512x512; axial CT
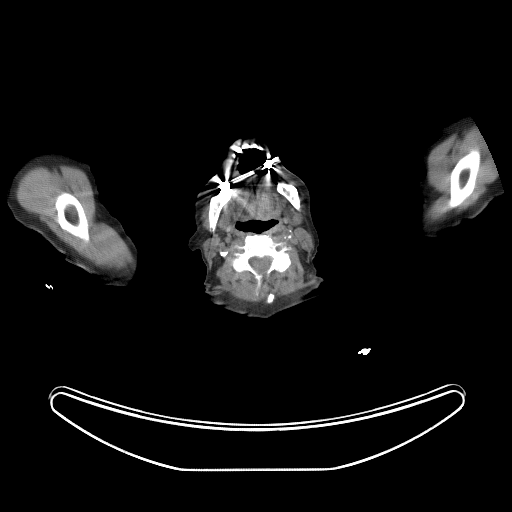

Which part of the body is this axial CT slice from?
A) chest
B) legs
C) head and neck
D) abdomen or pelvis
C) head and neck
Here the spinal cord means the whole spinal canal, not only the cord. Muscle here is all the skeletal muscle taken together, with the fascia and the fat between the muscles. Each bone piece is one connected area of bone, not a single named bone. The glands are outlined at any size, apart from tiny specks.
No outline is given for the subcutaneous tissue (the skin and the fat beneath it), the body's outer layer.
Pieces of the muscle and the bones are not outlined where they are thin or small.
{"spinal_cord":[[[253,257],[257,257],[258,258],[262,258],[263,257],[270,257],[271,258],[271,261],[270,262],[270,264],[267,268],[267,269],[264,272],[262,272],[261,273],[260,273],[259,272],[258,272],[254,268],[253,268],[251,266],[251,265],[249,263],[249,260]]],"muscle":[{"outer":[[237,160],[238,169],[242,173],[254,170],[260,163],[265,162],[270,171],[282,175],[282,170],[297,182],[303,196],[307,227],[313,238],[314,245],[307,266],[313,283],[275,301],[275,295],[269,292],[264,299],[267,304],[240,300],[226,292],[216,291],[213,274],[200,241],[200,217],[204,200],[217,178],[223,176],[223,171],[223,180],[208,202],[208,230],[211,233],[216,230],[220,213],[232,197],[231,175]],"holes":[[[249,220],[275,220],[263,231],[275,242],[284,242],[290,247],[287,251],[291,261],[289,267],[282,272],[273,270],[264,277],[258,294],[255,294],[254,276],[247,270],[237,272],[230,261],[235,246],[243,245],[245,237],[254,232],[239,229],[236,224]],[[277,181],[284,181],[287,183],[290,183],[296,187],[300,199],[300,209],[297,211],[302,218],[301,220],[301,224],[300,225],[290,225],[289,220],[294,213],[294,211],[297,210],[284,196],[280,194],[277,191],[276,188],[276,183]]]},{"outer":[[49,164],[65,164],[75,166],[85,172],[91,184],[97,213],[102,220],[116,230],[127,244],[134,259],[134,263],[131,267],[126,270],[107,270],[95,266],[73,251],[61,241],[37,216],[27,212],[18,203],[15,191],[21,176],[28,169],[36,165]],"hole":[[62,192],[67,192],[72,194],[82,205],[84,209],[86,217],[88,220],[88,225],[89,226],[88,227],[89,240],[87,242],[83,241],[80,238],[62,229],[57,222],[56,220],[56,218],[57,217],[57,211],[55,208],[55,200],[56,199],[56,197]]},{"outer":[[475,123],[491,154],[499,179],[489,188],[474,205],[466,211],[455,214],[440,223],[436,223],[434,221],[428,222],[426,220],[426,212],[430,205],[429,203],[430,186],[427,182],[429,174],[428,156],[431,150],[436,145],[453,132],[471,127]],"hole":[[472,149],[477,149],[480,153],[480,163],[479,164],[479,169],[478,170],[477,176],[476,177],[475,187],[472,193],[460,205],[457,207],[451,208],[451,206],[449,203],[449,187],[450,186],[450,180],[449,179],[449,176],[450,175],[450,173],[458,160]]}],"left_arm":[[[466,113],[475,123],[487,145],[499,176],[503,194],[494,198],[474,218],[464,219],[457,226],[444,230],[439,236],[420,236],[418,228],[418,219],[420,216],[422,204],[421,179],[425,175],[425,168],[423,163],[424,150],[440,135],[441,128],[444,125]]],"right_arm":[[[44,152],[66,154],[87,162],[90,165],[95,177],[100,201],[120,221],[138,251],[139,262],[137,277],[128,285],[114,286],[101,283],[80,267],[67,262],[64,256],[40,234],[25,227],[14,218],[6,202],[12,178],[16,170],[26,160],[36,154]]],"submandibular_glands":[[[294,211],[297,211],[297,212],[301,216],[301,217],[302,218],[302,219],[301,220],[301,224],[300,225],[290,225],[290,224],[289,223],[289,220],[290,219],[290,218],[292,216],[292,215],[294,213]]],"bones":[{"outer":[[262,232],[270,235],[275,242],[284,242],[290,247],[287,252],[291,263],[286,270],[282,272],[273,270],[267,277],[264,277],[258,294],[255,294],[256,279],[254,276],[247,270],[237,272],[233,268],[230,259],[233,256],[235,246],[243,245],[248,234]],"hole":[[253,257],[257,257],[258,258],[262,258],[263,257],[270,257],[271,258],[271,261],[270,262],[270,264],[267,268],[267,269],[264,272],[262,272],[261,273],[260,273],[259,272],[258,272],[254,268],[253,268],[251,266],[251,265],[249,263],[249,260]]},[[244,142],[255,143],[268,151],[278,162],[282,174],[269,169],[263,150],[249,147],[237,152],[235,154],[237,159],[232,167],[233,173],[230,175],[231,197],[221,209],[215,230],[211,232],[208,220],[210,199],[219,190],[224,180],[224,168],[232,149]],[[472,149],[477,149],[480,153],[480,163],[479,164],[479,169],[478,170],[477,176],[476,177],[475,187],[472,193],[460,205],[457,207],[451,208],[451,206],[449,203],[449,187],[450,186],[450,180],[449,179],[449,176],[450,175],[450,173],[458,160]],[[62,192],[67,192],[72,194],[82,205],[84,209],[86,217],[88,220],[88,225],[89,226],[88,227],[89,240],[87,242],[83,241],[80,238],[62,229],[57,222],[56,220],[56,218],[57,217],[57,211],[55,208],[55,200],[56,199],[56,197]],[[277,181],[284,181],[287,183],[290,183],[296,187],[297,189],[297,191],[298,192],[298,195],[300,199],[300,209],[299,210],[297,210],[284,196],[280,194],[277,191],[277,189],[276,188],[276,183]]],"head_and_neck":[{"outer":[[240,137],[263,141],[275,151],[274,157],[303,180],[309,190],[312,221],[319,238],[313,263],[323,282],[310,294],[316,295],[268,318],[247,317],[207,300],[203,284],[206,266],[200,251],[191,250],[187,245],[196,229],[196,196],[216,174],[228,148]],"holes":[[[249,148],[256,148],[261,151],[263,151],[264,152],[264,154],[266,158],[264,162],[260,162],[254,169],[250,169],[247,171],[243,171],[242,172],[240,171],[239,169],[240,162],[238,159],[238,156],[236,154],[237,153],[241,153],[243,149],[248,149]],[[249,220],[275,220],[276,221],[276,222],[269,228],[268,228],[267,229],[265,229],[263,231],[262,231],[261,232],[254,232],[253,231],[245,231],[244,230],[239,229],[237,227],[237,226],[236,225],[236,224],[238,222],[245,222],[246,221],[248,221]]]}]}